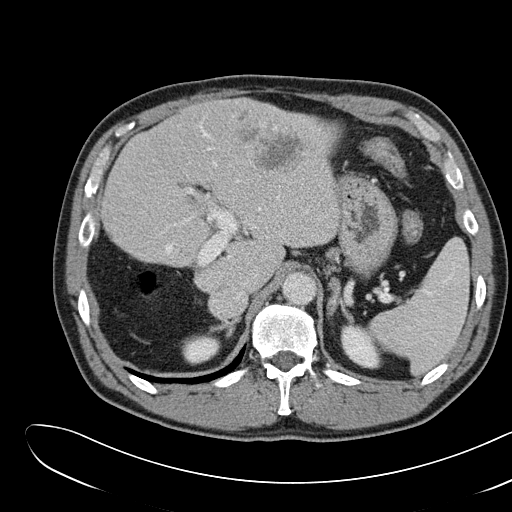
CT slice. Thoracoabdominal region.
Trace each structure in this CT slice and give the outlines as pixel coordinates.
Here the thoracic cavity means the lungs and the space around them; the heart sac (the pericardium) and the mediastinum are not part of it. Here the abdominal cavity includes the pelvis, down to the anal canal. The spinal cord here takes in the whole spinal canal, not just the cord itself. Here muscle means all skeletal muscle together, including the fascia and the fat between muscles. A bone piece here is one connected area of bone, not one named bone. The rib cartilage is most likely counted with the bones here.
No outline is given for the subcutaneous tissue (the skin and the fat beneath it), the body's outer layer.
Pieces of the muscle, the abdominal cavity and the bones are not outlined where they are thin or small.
The thoracic cavity is outlined by (242, 348) (244, 348) (244, 354) (241, 362) (237, 368) (212, 380) (198, 383) (157, 383) (156, 382) (153, 383) (140, 376) (129, 372) (125, 368) (125, 367) (127, 367) (144, 374) (166, 378) (187, 378) (188, 377) (203, 376) (206, 374) (216, 372) (230, 364) (238, 355). The spinal cord is outlined by (280, 351) (290, 351) (291, 352) (294, 353) (300, 358) (300, 360) (299, 361) (299, 362) (296, 363) (292, 367) (291, 367) (289, 369) (288, 369) (287, 370) (282, 370) (281, 369) (280, 369) (278, 367) (275, 366) (271, 362) (271, 359) (273, 357) (273, 356). The muscle is outlined by (273, 87) (301, 93) (374, 96) (416, 107) (446, 130) (472, 176) (488, 218) (493, 244) (495, 288) (487, 336) (473, 364) (410, 417) (354, 429) (332, 429) (307, 423) (290, 415) (291, 383) (307, 373) (316, 388) (322, 386) (313, 368) (313, 363) (320, 359) (316, 348) (344, 369) (379, 380) (420, 379) (422, 387) (447, 370) (446, 358) (466, 326) (473, 294) (472, 244) (457, 221) (456, 202) (447, 186) (447, 182) (455, 190) (462, 190) (465, 186) (463, 174) (449, 149) (443, 153) (442, 171) (431, 163) (424, 142) (400, 125) (367, 121) (328, 102) (292, 94) (250, 92) (202, 99) (132, 132) (117, 148) (104, 172) (95, 239) (98, 222) (90, 210) (84, 214) (77, 232) (79, 245) (89, 246) (86, 276) (93, 295) (95, 323) (136, 387) (152, 395) (159, 391) (154, 383) (211, 381) (214, 387) (228, 387) (249, 370) (248, 366) (238, 367) (251, 347) (258, 354) (265, 376) (277, 382) (279, 404) (276, 412) (282, 416) (270, 425) (240, 430) (180, 422) (154, 413) (107, 387) (87, 362) (66, 287) (65, 263) (73, 196) (82, 167) (95, 143) (117, 122) (167, 101) (223, 88); inner edges: (109, 142) (111, 143) (111, 151) (110, 152) (109, 157) (103, 169) (103, 172) (101, 175) (97, 190) (91, 198) (86, 198) (84, 195) (84, 186) (86, 183) (86, 181) (90, 174) (90, 172) (92, 169) (94, 162) (96, 158) (98, 156) (99, 152) (102, 149) (105, 144), then (408, 110) (411, 110) (419, 114) (422, 118) (423, 118) (437, 131) (438, 131) (441, 137) (440, 140) (438, 142) (433, 142) (423, 137) (420, 134) (416, 126) (409, 119) (408, 119) (404, 116) (404, 114), then (327, 362) (329, 363) (329, 365) (331, 369) (337, 370) (340, 372) (345, 373) (353, 377) (356, 377) (361, 380) (362, 381) (362, 383) (360, 384) (355, 384) (354, 385) (345, 385) (344, 384) (338, 383) (337, 382) (333, 381) (322, 372) (322, 369) (325, 367) (325, 363), then (81, 288) (84, 289) (84, 290) (86, 293) (87, 300) (88, 301) (88, 303) (89, 304) (89, 312) (90, 313) (90, 324) (88, 326) (87, 326) (83, 322) (83, 321) (78, 312) (78, 309) (77, 308) (77, 300) (78, 299) (78, 295) (79, 294) (79, 290), then (479, 274) (482, 275) (485, 281) (485, 283) (486, 284) (486, 293) (485, 294) (485, 299) (483, 302) (483, 304) (482, 306) (479, 309) (477, 309) (476, 308) (476, 304) (475, 303) (475, 298) (474, 296) (475, 295) (475, 289) (476, 288) (476, 283) (477, 282) (477, 277), then (466, 208) (469, 209) (472, 212) (472, 213) (473, 214) (473, 215) (474, 216) (474, 217) (475, 218) (475, 219) (478, 224) (478, 231) (474, 235) (472, 235) (467, 231) (467, 230) (465, 228) (465, 227) (462, 222) (462, 212) (463, 211) (463, 210), then (131, 121) (135, 121) (135, 122) (136, 123) (135, 124) (135, 125) (130, 130) (127, 131) (123, 135) (122, 135) (120, 137) (119, 137) (118, 138) (116, 138) (114, 136) (114, 132) (120, 126) (122, 126) (123, 125) (124, 125) (125, 124) (126, 124) (127, 123) (128, 123). The mediastinum is outlined by (292, 270) (305, 270) (306, 272) (309, 272) (315, 278) (315, 281) (317, 284) (317, 295) (315, 298) (313, 309) (309, 313) (303, 307) (291, 305) (288, 303) (279, 303) (278, 302) (266, 303) (266, 300) (270, 297) (270, 294) (276, 289) (282, 277) (287, 272). The bones appear in 13 outlined pieces: piece 1: (273, 303) (303, 308) (313, 319) (317, 337) (314, 352) (319, 359) (312, 363) (312, 368) (321, 386) (316, 387) (307, 372) (303, 376) (293, 378) (288, 397) (291, 409) (289, 415) (278, 414) (278, 382) (266, 376) (259, 354) (251, 344) (251, 328) (256, 315) (266, 304); inner edge: (280, 351) (290, 351) (291, 352) (294, 353) (300, 358) (300, 360) (299, 361) (299, 362) (296, 363) (292, 367) (291, 367) (289, 369) (288, 369) (287, 370) (282, 370) (281, 369) (280, 369) (278, 367) (275, 366) (271, 362) (271, 359) (273, 357) (273, 356); piece 2: (109, 142) (111, 143) (111, 151) (110, 152) (109, 157) (103, 169) (103, 172) (101, 175) (97, 190) (91, 198) (86, 198) (84, 195) (84, 186) (86, 183) (86, 181) (90, 174) (90, 172) (92, 169) (94, 162) (96, 158) (98, 156) (99, 152) (102, 149) (105, 144); piece 3: (447, 150) (449, 150) (451, 152) (453, 156) (454, 161) (459, 168) (462, 174) (462, 177) (463, 178) (463, 182) (464, 183) (464, 186) (463, 188) (460, 190) (455, 189) (446, 180) (445, 176) (444, 175) (444, 172) (443, 171) (443, 161) (445, 157) (444, 156) (444, 153); piece 4: (408, 110) (411, 110) (419, 114) (422, 118) (423, 118) (437, 131) (438, 131) (441, 137) (440, 140) (438, 142) (433, 142) (423, 137) (420, 134) (416, 126) (409, 119) (408, 119) (404, 116) (404, 114); piece 5: (88, 211) (90, 211) (91, 212) (94, 219) (97, 222) (97, 224) (95, 227) (95, 233) (92, 238) (92, 240) (91, 242) (87, 247) (83, 247) (81, 246) (79, 243) (79, 241) (78, 240) (78, 232) (79, 231) (79, 228) (81, 225) (82, 220) (85, 214); piece 6: (327, 362) (329, 363) (329, 365) (331, 369) (337, 370) (340, 372) (345, 373) (353, 377) (356, 377) (361, 380) (362, 381) (362, 383) (360, 384) (355, 384) (354, 385) (345, 385) (344, 384) (338, 383) (337, 382) (333, 381) (322, 372) (322, 369) (325, 367) (325, 363); piece 7: (243, 367) (248, 367) (248, 370) (239, 379) (238, 381) (228, 386) (226, 386) (225, 387) (217, 387) (211, 384) (211, 382) (213, 380) (217, 378) (219, 378) (230, 372) (232, 372) (236, 369) (239, 369); piece 8: (81, 288) (84, 289) (84, 290) (86, 293) (87, 300) (88, 301) (88, 303) (89, 304) (89, 312) (90, 313) (90, 324) (88, 326) (87, 326) (83, 322) (83, 321) (78, 312) (78, 309) (77, 308) (77, 300) (78, 299) (78, 295) (79, 294) (79, 290); piece 9: (479, 274) (482, 275) (485, 281) (485, 283) (486, 284) (486, 293) (485, 294) (485, 299) (483, 302) (483, 304) (482, 306) (479, 309) (477, 309) (476, 308) (476, 304) (475, 303) (475, 298) (474, 296) (475, 295) (475, 289) (476, 288) (476, 283) (477, 282) (477, 277); piece 10: (466, 208) (469, 209) (472, 212) (472, 213) (473, 214) (473, 215) (474, 216) (474, 217) (475, 218) (475, 219) (478, 224) (478, 231) (474, 235) (472, 235) (467, 231) (467, 230) (465, 228) (465, 227) (462, 222) (462, 212) (463, 211) (463, 210); piece 11: (443, 362) (446, 362) (448, 363) (448, 366) (446, 370) (438, 378) (437, 378) (432, 382) (428, 384) (426, 384) (425, 385) (423, 385) (421, 386) (420, 385) (420, 382) (421, 381) (421, 379) (428, 372) (429, 372) (436, 366) (439, 365); piece 12: (128, 372) (129, 373) (131, 373) (138, 377) (140, 377) (152, 383) (153, 385) (157, 389) (158, 391) (157, 393) (155, 394) (152, 394) (136, 386) (129, 379) (128, 377); piece 13: (131, 121) (135, 121) (135, 122) (136, 123) (135, 124) (135, 125) (130, 130) (127, 131) (123, 135) (122, 135) (120, 137) (119, 137) (118, 138) (116, 138) (114, 136) (114, 132) (120, 126) (122, 126) (123, 125) (124, 125) (125, 124) (126, 124) (127, 123) (128, 123). The abdominal cavity is outlined by (250, 93) (307, 98) (400, 126) (443, 173) (471, 244) (472, 294) (455, 347) (421, 378) (365, 376) (320, 351) (310, 314) (318, 284) (305, 269) (281, 277) (251, 323) (249, 349) (216, 371) (152, 375) (124, 366) (110, 349) (94, 316) (87, 260) (118, 148) (179, 108). The torso is outlined by (232, 74) (361, 79) (399, 85) (439, 106) (464, 138) (503, 231) (507, 299) (499, 335) (485, 367) (458, 397) (426, 422) (349, 441) (231, 441) (177, 431) (138, 417) (101, 399) (83, 379) (61, 328) (52, 292) (57, 222) (77, 155) (96, 124) (121, 103) (167, 84).